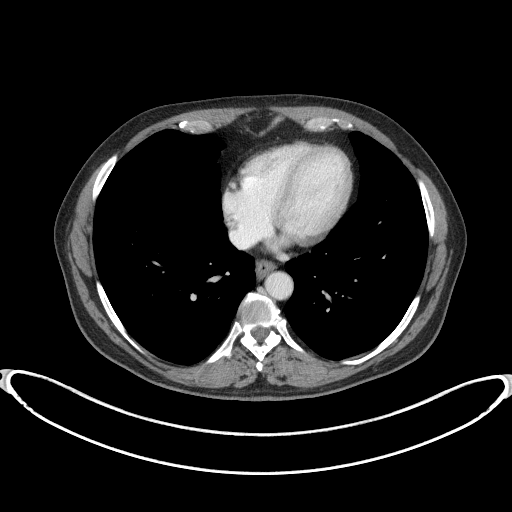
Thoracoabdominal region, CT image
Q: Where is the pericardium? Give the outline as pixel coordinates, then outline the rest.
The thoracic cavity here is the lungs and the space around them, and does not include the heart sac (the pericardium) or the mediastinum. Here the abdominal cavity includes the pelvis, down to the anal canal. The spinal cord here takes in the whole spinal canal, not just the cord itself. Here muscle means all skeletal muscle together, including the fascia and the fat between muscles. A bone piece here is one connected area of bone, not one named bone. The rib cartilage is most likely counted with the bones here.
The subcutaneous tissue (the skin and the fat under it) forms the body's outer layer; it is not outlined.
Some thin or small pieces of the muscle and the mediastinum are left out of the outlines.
A: {"pericardium":[[[279,260],[309,250],[318,243],[327,235],[349,205],[353,189],[353,167],[348,155],[333,143],[310,139],[294,139],[256,146],[238,155],[227,171],[222,187],[221,203],[223,221],[230,232],[232,241],[239,248],[248,251],[256,251],[270,258]]],"spinal_cord":[[[259,343],[261,343],[263,341],[263,340],[265,338],[265,337],[267,335],[267,334],[268,333],[268,330],[267,329],[266,329],[265,328],[263,328],[260,326],[258,326],[257,327],[254,328],[251,331],[251,333],[252,334],[252,335],[257,340],[257,341]]],"thoracic_cavity":[[[182,365],[205,359],[224,339],[236,317],[241,299],[254,285],[254,261],[229,242],[222,222],[220,167],[216,160],[225,145],[224,141],[209,133],[193,135],[178,129],[164,129],[146,138],[117,162],[95,203],[92,239],[99,278],[129,335],[156,356]],[[335,360],[371,350],[394,328],[417,291],[428,247],[424,212],[415,180],[390,150],[359,131],[350,134],[360,166],[356,200],[323,240],[309,252],[292,258],[285,264],[286,270],[294,280],[294,291],[282,312],[288,321],[291,333],[300,343],[318,355]]],"mediastinum":[[[349,207],[357,196],[359,181],[359,166],[349,139],[353,130],[309,132],[288,117],[279,127],[259,138],[247,137],[224,126],[208,132],[226,144],[217,160],[221,167],[221,194],[228,167],[238,154],[250,147],[294,138],[337,144],[349,155],[354,167]],[[282,311],[285,303],[293,291],[293,280],[285,270],[284,264],[288,259],[296,257],[304,252],[283,261],[273,260],[256,252],[248,252],[239,249],[233,244],[226,227],[230,242],[237,249],[244,251],[254,258],[255,285],[252,290],[258,291],[269,296]]],"muscle":[[[302,389],[341,380],[376,365],[408,344],[431,317],[443,289],[452,253],[446,239],[447,210],[436,186],[386,134],[349,112],[329,106],[249,104],[194,109],[170,116],[140,130],[110,155],[115,152],[119,155],[119,159],[151,134],[164,128],[177,128],[177,123],[184,118],[205,119],[216,129],[243,112],[260,108],[283,112],[300,124],[314,116],[335,116],[351,121],[354,130],[368,134],[390,149],[415,179],[420,177],[424,180],[434,206],[436,233],[432,239],[429,239],[425,271],[417,292],[421,294],[420,303],[411,321],[396,341],[372,358],[354,366],[322,358],[302,344],[307,351],[304,355],[281,342],[265,356],[261,372],[255,368],[255,357],[238,343],[230,358],[223,357],[205,366],[200,365],[202,361],[182,366],[166,362],[145,349],[140,353],[115,329],[103,309],[94,284],[98,275],[91,239],[94,203],[91,200],[90,190],[93,178],[103,162],[93,170],[81,190],[67,223],[67,257],[77,292],[86,311],[113,343],[148,369],[167,379],[189,386],[243,387],[260,378],[270,384],[289,385]]],"torso":[[[242,401],[309,398],[350,388],[413,362],[439,333],[465,255],[464,220],[428,152],[403,126],[374,107],[306,93],[230,95],[158,105],[134,115],[111,132],[85,160],[65,193],[55,218],[53,240],[72,313],[87,341],[112,362],[155,385],[202,397]]],"bones":[{"outer":[[258,371],[262,369],[264,356],[281,341],[301,353],[306,354],[306,351],[290,333],[286,319],[274,302],[263,294],[250,291],[242,299],[238,307],[237,317],[233,321],[229,333],[201,365],[214,362],[223,356],[230,357],[235,344],[238,342],[256,357]],"hole":[[259,343],[261,343],[263,341],[263,340],[265,338],[265,337],[267,335],[267,334],[268,333],[268,330],[267,329],[266,329],[265,328],[263,328],[260,326],[258,326],[257,327],[254,328],[251,331],[251,333],[252,334],[252,335],[257,340],[257,341]]},[[353,365],[359,364],[365,361],[367,359],[377,354],[387,347],[392,342],[395,341],[397,337],[406,327],[413,316],[420,300],[420,294],[417,293],[415,295],[401,320],[395,328],[375,348],[361,357],[358,358],[346,358],[340,361],[342,364],[352,364]],[[140,352],[142,352],[143,348],[128,335],[124,326],[114,311],[100,281],[98,279],[96,280],[95,282],[95,284],[96,285],[96,289],[97,290],[98,295],[100,298],[100,300],[104,307],[104,309],[107,315],[111,320],[112,323],[116,329],[137,350]],[[309,131],[323,131],[329,128],[334,123],[336,123],[343,129],[352,129],[353,124],[351,122],[344,121],[339,118],[336,118],[335,117],[324,117],[323,116],[320,116],[319,117],[314,117],[313,118],[311,118],[305,122],[302,122],[301,123],[302,126]],[[429,238],[432,238],[434,236],[435,233],[435,217],[434,216],[434,211],[433,210],[433,206],[430,199],[428,190],[423,180],[420,178],[417,178],[416,180],[421,194],[421,199],[422,200],[422,203],[425,212],[425,217],[426,218],[426,222],[428,228]],[[94,202],[95,202],[95,200],[99,194],[107,177],[109,175],[110,172],[118,160],[118,155],[115,153],[110,156],[103,163],[99,171],[94,178],[94,180],[92,184],[92,189],[91,190],[92,191],[91,192],[92,193],[92,200]],[[190,133],[205,133],[208,131],[210,131],[211,130],[212,130],[213,129],[213,127],[210,124],[210,123],[209,123],[205,120],[187,120],[186,119],[184,119],[183,120],[180,121],[178,123],[178,128],[182,131],[187,131]]],"abdominal_cavity":[[[251,137],[259,137],[264,133],[268,132],[274,128],[279,126],[286,118],[286,116],[283,113],[280,113],[279,112],[273,112],[266,109],[260,109],[257,111],[246,112],[235,117],[225,126],[229,126],[233,129],[235,129],[243,133],[245,135],[250,136]]]}